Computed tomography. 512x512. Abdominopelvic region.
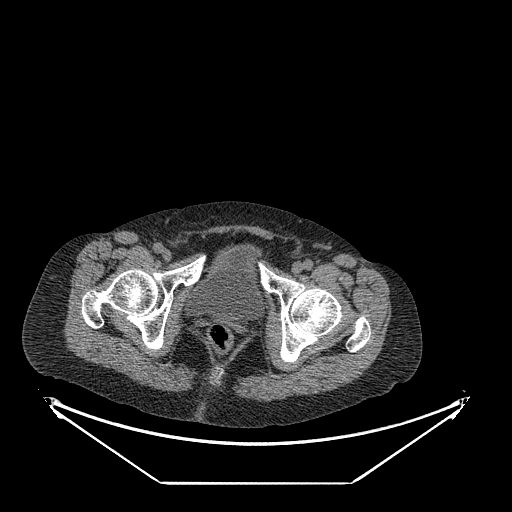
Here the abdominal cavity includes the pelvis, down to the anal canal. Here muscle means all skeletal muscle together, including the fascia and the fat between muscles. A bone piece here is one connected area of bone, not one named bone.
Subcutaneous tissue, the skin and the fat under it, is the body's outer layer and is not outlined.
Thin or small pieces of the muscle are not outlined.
{"bones":[[[202,253],[206,259],[195,283],[188,286],[181,283],[173,291],[159,349],[146,348],[139,329],[124,313],[105,303],[100,305],[104,320],[101,327],[93,328],[85,322],[81,298],[88,290],[106,288],[119,273],[130,268],[151,274],[154,270],[186,265]],[[257,261],[261,261],[277,275],[292,278],[303,283],[307,288],[316,286],[325,289],[335,297],[341,306],[342,321],[329,333],[320,337],[313,344],[306,346],[295,362],[286,362],[280,357],[281,304],[277,294],[273,292],[267,293],[264,289],[260,281]],[[360,315],[364,315],[369,321],[370,323],[370,327],[371,328],[371,334],[370,335],[369,340],[360,349],[356,351],[354,351],[352,352],[351,351],[349,351],[346,348],[345,343],[346,342],[346,340],[347,338],[353,332],[353,322],[354,320]],[[217,366],[220,368],[222,368],[224,370],[224,373],[221,376],[221,378],[220,379],[221,380],[221,384],[218,386],[214,386],[213,385],[212,385],[209,382],[209,381],[210,380],[210,376],[212,374],[212,373],[215,370],[215,368]]],"torso":[[[223,200],[255,202],[293,212],[338,234],[365,258],[393,269],[410,289],[421,325],[422,357],[414,375],[387,393],[314,419],[290,425],[232,428],[151,415],[74,383],[38,373],[24,355],[21,329],[39,277],[59,247],[78,235],[104,232],[149,213]]],"abdominal_cavity":[[[237,233],[248,233],[269,243],[284,244],[284,248],[279,254],[262,256],[256,261],[259,281],[268,305],[265,321],[251,330],[224,360],[219,361],[208,341],[193,325],[184,321],[181,312],[207,259],[207,254],[196,244],[198,239],[205,239],[215,234]]],"muscle":[{"outer":[[221,224],[263,225],[298,234],[350,253],[382,273],[390,289],[391,317],[382,348],[364,374],[333,390],[257,401],[239,398],[230,386],[236,378],[245,378],[266,368],[264,349],[257,339],[248,343],[231,360],[227,371],[228,385],[224,391],[215,393],[205,389],[200,393],[198,384],[194,389],[180,392],[155,389],[139,384],[110,368],[85,361],[67,349],[63,327],[70,279],[76,256],[87,243],[124,230],[202,229]],"holes":[[[237,233],[284,244],[262,263],[341,306],[342,321],[295,362],[280,357],[273,292],[265,321],[222,361],[181,316],[193,284],[174,289],[159,349],[146,348],[139,329],[105,303],[101,327],[85,322],[88,290],[130,268],[186,265],[203,252],[198,239]],[[184,334],[188,334],[192,336],[200,342],[203,345],[203,347],[205,348],[205,351],[209,358],[209,363],[211,364],[210,367],[203,374],[197,375],[193,370],[190,369],[185,364],[175,359],[174,352],[176,350],[177,347],[176,346],[182,339],[182,336]],[[360,315],[364,315],[369,321],[370,323],[370,327],[371,328],[371,334],[370,335],[369,340],[360,349],[356,351],[354,351],[352,352],[351,351],[349,351],[346,348],[345,343],[346,342],[346,340],[347,338],[353,332],[353,322],[354,320]],[[217,366],[220,368],[222,368],[224,370],[224,373],[221,376],[221,378],[220,379],[221,380],[221,384],[218,386],[214,386],[213,385],[212,385],[209,382],[209,381],[210,380],[210,376],[212,374],[212,373],[215,370],[215,368]]]}]}